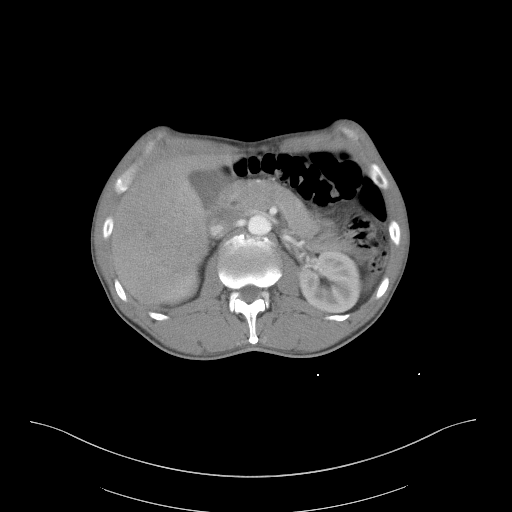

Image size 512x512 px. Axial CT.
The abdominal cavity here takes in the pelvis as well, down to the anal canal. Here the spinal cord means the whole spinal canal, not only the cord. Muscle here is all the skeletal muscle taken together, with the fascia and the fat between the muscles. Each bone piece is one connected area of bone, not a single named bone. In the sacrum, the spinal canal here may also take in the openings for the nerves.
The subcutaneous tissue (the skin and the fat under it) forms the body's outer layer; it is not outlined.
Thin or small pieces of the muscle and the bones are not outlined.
Outlines (x, y in pixels):
torso: 338 117; 356 120; 367 130; 401 190; 410 225; 403 275; 386 309; 368 329; 342 347; 315 357; 250 351; 215 360; 189 360; 160 350; 118 316; 92 264; 90 225; 102 186; 138 136; 152 126; 168 124; 184 131; 256 140; 322 126
abdominal cavity: 337 140; 353 147; 389 206; 391 257; 375 291; 355 309; 326 314; 312 308; 299 296; 292 262; 283 253; 275 255; 275 243; 243 232; 221 243; 199 295; 167 313; 138 305; 114 278; 113 216; 121 194; 159 144; 238 152; 303 149
bones 1: 240 233; 261 240; 265 237; 270 239; 274 243; 273 253; 281 271; 279 279; 268 288; 269 306; 256 315; 255 332; 258 341; 255 344; 248 341; 249 327; 244 315; 230 311; 228 304; 231 290; 221 282; 218 276; 222 243; 233 235, around a hole outlined by 247 285; 253 285; 258 288; 260 288; 261 289; 262 289; 262 290; 260 293; 260 295; 261 296; 261 297; 258 297; 249 303; 248 303; 247 302; 246 302; 244 300; 241 299; 239 297; 239 296; 240 295; 240 293; 238 291; 238 290
bones 2: 134 163; 136 164; 136 169; 128 185; 128 187; 127 189; 125 191; 122 192; 120 194; 117 194; 114 190; 114 184; 115 183; 115 181; 116 179; 121 174; 122 174; 132 164
bones 3: 372 163; 375 163; 377 164; 378 166; 381 169; 384 175; 386 177; 388 181; 388 186; 387 188; 385 189; 382 189; 380 188; 374 182; 374 181; 372 179; 370 175; 370 165
bones 4: 391 220; 395 220; 398 223; 398 224; 399 225; 399 228; 400 229; 400 242; 398 245; 395 245; 393 243; 393 242; 391 240; 391 238; 390 237; 390 235; 389 234; 389 231; 388 230; 388 227; 389 226; 389 224; 390 223; 390 221
bones 5: 110 215; 113 218; 113 227; 112 228; 112 231; 111 232; 111 233; 110 234; 110 235; 107 238; 104 238; 102 235; 102 227; 103 226; 103 223; 104 222; 104 221; 105 220; 105 219; 106 218; 106 217; 107 216; 109 216
bones 6: 384 276; 386 276; 387 277; 388 277; 388 278; 389 279; 389 283; 388 284; 387 289; 382 296; 381 296; 379 298; 376 298; 375 297; 375 292; 376 291; 376 290; 377 289; 377 288; 378 287; 381 280; 383 278; 383 277
bones 7: 115 278; 118 280; 118 281; 120 283; 121 286; 123 288; 123 289; 124 290; 124 291; 126 294; 126 296; 127 297; 127 300; 126 301; 123 301; 118 296; 118 295; 116 292; 116 290; 115 289; 115 287; 114 286; 114 279
bones 8: 347 313; 348 313; 349 314; 349 316; 346 319; 345 319; 344 320; 342 320; 341 321; 337 321; 336 320; 329 320; 328 319; 325 319; 324 318; 324 317; 326 315; 333 315; 334 314; 346 314
muscle: 345 122; 363 132; 389 174; 403 206; 407 231; 406 251; 399 274; 385 301; 363 325; 332 345; 315 351; 282 350; 256 344; 259 341; 257 315; 270 306; 269 288; 282 276; 276 258; 278 254; 283 254; 291 262; 298 296; 312 309; 325 314; 325 320; 344 321; 374 293; 374 297; 379 299; 388 289; 390 279; 385 274; 392 257; 392 242; 395 246; 401 242; 400 225; 390 218; 390 206; 383 191; 388 188; 389 181; 377 163; 372 162; 369 167; 362 163; 354 147; 344 139; 303 148; 276 146; 238 151; 190 143; 159 143; 136 172; 137 164; 134 162; 114 181; 113 190; 121 196; 113 215; 105 217; 101 235; 104 239; 109 237; 110 269; 117 296; 123 302; 129 298; 147 310; 154 320; 167 320; 170 317; 168 312; 200 295; 208 265; 220 248; 217 276; 230 290; 229 311; 245 318; 250 345; 206 355; 181 352; 164 345; 119 308; 96 260; 95 218; 114 173; 147 134; 163 128; 187 137; 257 147; 275 145; 294 136; 329 131 with holes at 344 129; 350 129; 351 130; 352 130; 353 131; 353 132; 354 133; 354 134; 356 136; 356 138; 355 138; 353 136; 349 136; 347 134; 346 134; 344 132 and at 150 141; 151 141; 152 141; 153 142; 153 143; 153 144; 152 145; 151 146; 151 147; 151 148; 150 149; 149 150; 148 150; 147 150; 146 149; 146 148; 146 147; 146 146; 147 145; 147 144; 148 143; 149 142
spinal cord: 247 285; 253 285; 258 288; 260 288; 261 289; 262 289; 262 290; 260 293; 260 295; 261 296; 261 297; 258 297; 249 303; 248 303; 247 302; 246 302; 244 300; 241 299; 239 297; 239 296; 240 295; 240 293; 238 291; 238 290